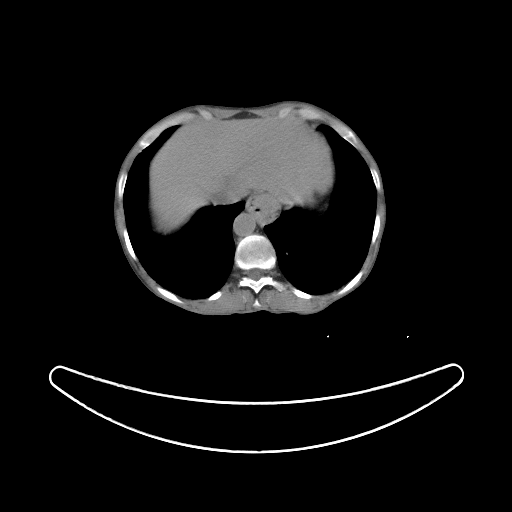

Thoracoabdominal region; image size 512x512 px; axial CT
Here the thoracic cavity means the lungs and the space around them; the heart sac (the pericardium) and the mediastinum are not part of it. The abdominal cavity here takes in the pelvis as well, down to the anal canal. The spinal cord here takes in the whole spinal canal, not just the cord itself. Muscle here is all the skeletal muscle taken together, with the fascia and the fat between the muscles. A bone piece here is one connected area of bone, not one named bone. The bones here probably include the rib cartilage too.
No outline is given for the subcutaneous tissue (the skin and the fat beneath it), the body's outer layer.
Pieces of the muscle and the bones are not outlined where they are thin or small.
The thoracic cavity appears in 2 outlined pieces: piece 1: (322, 125) (331, 127) (363, 158) (376, 191) (376, 205) (370, 241) (360, 269) (340, 288) (327, 293) (312, 294) (294, 286) (282, 275) (277, 266) (275, 248) (265, 227) (283, 211) (296, 208) (315, 218) (321, 218) (330, 209) (336, 189) (337, 166) (333, 148) (320, 129); piece 2: (175, 125) (176, 128) (155, 151) (147, 165) (145, 210) (151, 231) (163, 237) (172, 236) (206, 206) (244, 202) (243, 209) (231, 224) (235, 248) (229, 278) (220, 289) (201, 298) (180, 296) (160, 285) (139, 260) (126, 226) (123, 199) (128, 172) (137, 155) (164, 130). The abdominal cavity is outlined by (241, 113) (265, 118) (298, 116) (325, 124) (319, 129) (332, 148) (336, 166) (335, 189) (325, 215) (315, 217) (296, 207) (282, 211) (274, 197) (254, 193) (244, 201) (200, 208) (172, 235) (152, 231) (146, 210) (147, 176) (156, 151) (178, 124) (195, 118) (221, 119). The torso is outlined by (286, 99) (314, 103) (341, 118) (361, 138) (379, 166) (387, 217) (379, 252) (371, 272) (351, 293) (311, 315) (274, 314) (267, 311) (228, 316) (199, 315) (157, 297) (132, 271) (124, 257) (114, 227) (114, 184) (127, 151) (140, 134) (162, 116) (190, 104) (254, 106). The mediastinum is outlined by (254, 194) (265, 194) (274, 198) (278, 202) (281, 209) (281, 212) (277, 218) (272, 222) (267, 224) (264, 227) (264, 231) (267, 237) (265, 235) (259, 233) (251, 233) (241, 238) (235, 246) (232, 235) (232, 224) (233, 221) (236, 216) (244, 209) (245, 201) (247, 198). The bones appear in 12 outlined pieces: piece 1: (251, 234) (259, 234) (265, 236) (272, 244) (276, 255) (276, 266) (270, 271) (270, 274) (274, 279) (281, 282) (285, 286) (283, 290) (279, 291) (271, 285) (265, 285) (256, 294) (248, 286) (238, 286) (237, 284) (241, 276) (241, 272) (234, 266) (235, 249) (241, 239) with a hole at (254, 268) (258, 268) (259, 269) (261, 269) (262, 270) (263, 270) (263, 271) (264, 272) (264, 274) (262, 276) (261, 276) (258, 279) (257, 279) (256, 280) (255, 279) (253, 279) (252, 278) (249, 277) (246, 274) (246, 271) (247, 271) (250, 269) (253, 269); piece 2: (186, 112) (188, 112) (189, 113) (194, 113) (196, 114) (196, 117) (193, 119) (190, 119) (187, 121) (184, 121) (181, 123) (178, 123) (167, 127) (164, 129) (150, 144) (145, 147) (141, 151) (139, 151) (138, 142) (148, 130) (149, 130) (156, 124) (165, 119) (168, 119); piece 3: (289, 106) (290, 106) (294, 110) (296, 110) (300, 108) (309, 108) (310, 109) (315, 110) (320, 113) (321, 117) (317, 119) (304, 119) (300, 117) (298, 115) (298, 114) (294, 111) (292, 111) (288, 115) (285, 115) (281, 117) (278, 115) (278, 112) (282, 108) (288, 107); piece 4: (331, 121) (335, 121) (338, 123) (341, 123) (345, 126) (346, 126) (350, 130) (351, 130) (355, 134) (355, 135) (359, 140) (359, 146) (358, 147) (358, 148) (356, 148) (354, 146) (353, 146) (348, 141) (347, 141) (344, 138) (343, 138) (331, 126) (330, 126) (330, 122); piece 5: (361, 268) (362, 268) (364, 271) (363, 272) (363, 274) (361, 276) (361, 277) (359, 280) (359, 282) (357, 284) (357, 285) (356, 285) (345, 295) (344, 295) (341, 297) (337, 297) (336, 294) (337, 293) (338, 290) (339, 289) (340, 289) (343, 286) (344, 286) (361, 269); piece 6: (122, 171) (125, 171) (126, 172) (127, 172) (127, 178) (126, 179) (126, 181) (125, 182) (125, 186) (124, 187) (124, 191) (123, 192) (123, 198) (122, 199) (122, 200) (120, 200) (119, 199) (119, 198) (117, 195) (117, 182) (118, 181) (118, 177) (119, 176) (120, 173); piece 7: (125, 227) (126, 227) (126, 229) (127, 230) (127, 233) (128, 234) (128, 236) (129, 237) (131, 245) (133, 248) (133, 250) (138, 259) (137, 261) (134, 260) (131, 257) (130, 254) (127, 250) (127, 248) (125, 244) (125, 241) (124, 240) (124, 237) (123, 236) (123, 229); piece 8: (376, 212) (378, 212) (380, 216) (380, 218) (379, 219) (379, 231) (376, 237) (375, 242) (371, 246) (370, 246) (370, 242) (371, 241) (371, 237) (372, 236) (372, 232) (373, 231) (373, 226) (374, 225) (374, 221) (375, 220) (375, 215) (376, 214); piece 9: (158, 285) (161, 286) (163, 288) (175, 294) (180, 299) (181, 299) (181, 300) (183, 302) (182, 304) (179, 302) (174, 301) (170, 298) (168, 298) (166, 296) (163, 295) (160, 292) (157, 291) (156, 290) (156, 286); piece 10: (369, 167) (373, 167) (374, 168) (375, 168) (378, 172) (378, 174) (379, 175) (379, 177) (380, 178) (380, 181) (381, 182) (381, 190) (380, 191) (377, 191) (376, 190) (376, 188) (375, 187) (375, 185) (373, 182) (372, 175) (371, 174) (371, 172) (369, 169); piece 11: (291, 285) (292, 285) (294, 287) (295, 287) (304, 292) (306, 292) (309, 294) (311, 294) (312, 295) (313, 295) (313, 297) (312, 298) (310, 298) (309, 299) (306, 299) (305, 298) (298, 297) (296, 295) (295, 295) (291, 290) (291, 288) (290, 287) (291, 286); piece 12: (218, 290) (221, 290) (221, 291) (222, 292) (222, 294) (218, 298) (217, 298) (216, 299) (214, 299) (213, 300) (209, 300) (208, 301) (207, 300) (206, 300) (206, 298) (207, 297) (208, 297) (210, 295) (211, 295) (212, 294) (213, 294) (215, 292) (216, 292). The spinal cord is outlined by (254, 268) (258, 268) (259, 269) (261, 269) (262, 270) (263, 270) (263, 271) (264, 272) (264, 274) (262, 276) (261, 276) (258, 279) (257, 279) (256, 280) (255, 279) (253, 279) (252, 278) (249, 277) (246, 274) (246, 271) (247, 271) (250, 269) (253, 269). The muscle appears in 5 outlined pieces: piece 1: (116, 195) (123, 203) (125, 226) (122, 229) (122, 236) (123, 237) (127, 252) (130, 257) (134, 261) (140, 262) (146, 272) (158, 284) (155, 286) (155, 290) (174, 302) (183, 304) (184, 302) (178, 296) (190, 299) (205, 298) (208, 302) (218, 299) (223, 294) (221, 289) (230, 278) (234, 267) (240, 272) (236, 284) (237, 286) (248, 287) (256, 295) (265, 286) (271, 286) (279, 292) (286, 288) (281, 281) (274, 278) (271, 274) (271, 271) (277, 267) (281, 275) (291, 284) (289, 287) (292, 293) (298, 298) (309, 300) (312, 299) (314, 295) (327, 294) (335, 290) (337, 290) (335, 294) (337, 298) (343, 297) (306, 311) (279, 310) (262, 307) (256, 297) (252, 303) (253, 307) (226, 312) (203, 312) (174, 303) (152, 289) (132, 264) (126, 252) (117, 227); piece 2: (282, 103) (301, 103) (302, 104) (306, 104) (312, 106) (326, 113) (340, 122) (338, 122) (335, 120) (331, 120) (329, 122) (329, 125) (318, 120) (318, 119) (320, 119) (322, 117) (322, 115) (321, 113) (317, 110) (309, 107) (300, 107) (294, 109) (290, 105) (282, 107) (277, 112) (277, 115) (280, 117) (265, 117) (262, 115) (258, 115) (254, 113) (241, 112) (232, 115) (229, 117) (213, 118) (213, 115) (209, 111) (205, 109) (200, 109) (198, 111) (197, 114) (201, 117) (197, 117) (197, 114) (194, 112) (186, 111) (177, 114) (174, 116) (166, 118) (176, 113) (188, 109) (191, 109) (195, 107) (212, 107) (213, 108) (219, 108) (220, 109) (240, 110) (243, 112) (246, 112) (248, 110) (267, 108); piece 3: (382, 190) (383, 204) (384, 205) (384, 217) (377, 249) (372, 264) (367, 272) (365, 278) (358, 285) (365, 271) (362, 266) (368, 253) (369, 246) (371, 247) (376, 242) (380, 231) (381, 216) (380, 213) (378, 211) (376, 211) (376, 206) (377, 205) (377, 192) (380, 192); piece 4: (137, 144) (137, 145) (138, 146) (138, 151) (139, 152) (134, 158) (134, 159) (133, 160) (128, 171) (126, 171) (125, 170) (122, 170) (121, 171) (121, 170) (123, 167) (123, 165) (124, 164) (125, 161) (127, 159) (129, 154) (132, 151) (132, 150) (134, 148) (134, 147); piece 5: (360, 142) (362, 144) (362, 145) (365, 148) (365, 149) (368, 152) (368, 153) (372, 158) (372, 159) (373, 160) (373, 161) (376, 166) (376, 168) (373, 166) (368, 166) (368, 165) (366, 163) (364, 158) (358, 151) (358, 150) (357, 149) (358, 149) (360, 146).